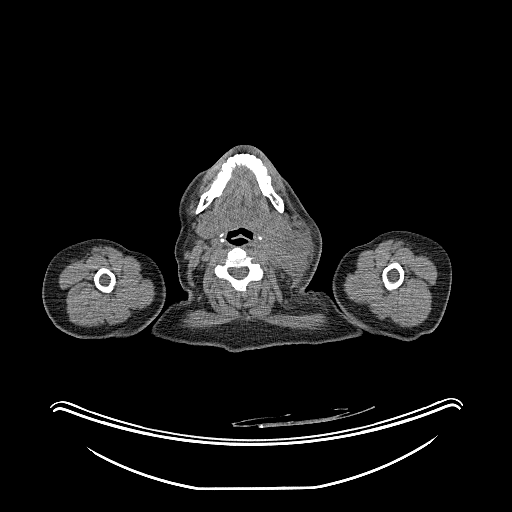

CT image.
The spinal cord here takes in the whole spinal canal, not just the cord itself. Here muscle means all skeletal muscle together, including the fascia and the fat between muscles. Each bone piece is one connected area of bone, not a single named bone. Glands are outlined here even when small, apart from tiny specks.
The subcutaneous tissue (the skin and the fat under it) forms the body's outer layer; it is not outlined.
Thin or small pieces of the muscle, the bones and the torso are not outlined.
{"muscle":[{"outer":[[247,152],[255,153],[270,165],[309,228],[313,255],[300,283],[299,297],[321,308],[330,317],[331,322],[323,329],[294,329],[261,320],[234,320],[194,329],[179,324],[179,318],[195,306],[194,290],[184,260],[184,242],[190,231],[185,209],[202,178],[221,163],[209,187],[199,196],[193,212],[195,215],[222,194],[238,167],[245,167],[253,173],[261,193],[280,214],[285,210],[284,201],[275,191],[266,165],[261,158]],"holes":[[[237,228],[245,228],[252,233],[252,237],[243,243],[241,247],[249,256],[259,258],[263,270],[262,278],[260,280],[250,281],[246,286],[245,292],[237,291],[227,280],[217,277],[214,272],[214,267],[217,262],[222,260],[234,246],[226,239],[228,232]],[[215,209],[218,215],[218,218],[219,219],[219,222],[221,227],[219,232],[218,232],[216,235],[213,236],[210,239],[209,238],[200,237],[193,230],[193,225],[192,224],[193,220],[196,217],[203,214],[205,212],[210,210],[214,210]],[[276,213],[279,214],[284,219],[284,220],[286,223],[286,231],[285,232],[285,233],[282,235],[277,235],[276,236],[275,236],[274,235],[269,233],[266,230],[266,228],[267,227],[267,225],[268,224],[268,223],[269,222],[272,215],[273,214],[275,214]]]},{"outer":[[388,239],[399,239],[410,243],[423,254],[429,256],[437,267],[438,275],[433,289],[431,310],[427,318],[416,326],[401,327],[388,320],[380,319],[370,313],[362,305],[348,299],[343,290],[342,285],[344,278],[358,254],[364,250],[371,249],[380,242]],"hole":[[394,261],[396,262],[398,262],[401,265],[404,271],[404,275],[403,276],[403,281],[397,288],[395,289],[393,289],[392,290],[388,290],[386,289],[382,281],[382,272],[383,271],[383,269],[389,263],[391,262],[393,262]]},{"outer":[[99,245],[110,246],[126,256],[135,257],[141,263],[149,278],[153,281],[155,285],[155,296],[147,307],[136,311],[122,322],[116,324],[106,323],[90,327],[80,326],[74,324],[68,318],[62,291],[58,284],[58,276],[61,270],[72,259],[92,247]],"hole":[[101,267],[105,267],[109,269],[114,274],[115,276],[115,285],[113,289],[109,293],[106,293],[105,292],[103,292],[101,291],[96,287],[94,283],[94,280],[93,279],[94,277],[94,275],[96,271],[99,268]]}],"spinal_cord":[[[241,267],[246,267],[247,268],[247,269],[248,270],[248,271],[247,272],[247,274],[244,277],[243,277],[242,278],[241,278],[240,279],[238,279],[237,278],[235,278],[233,276],[232,276],[229,273],[229,272],[228,271],[228,269],[229,268],[240,268]]],"torso":[[[311,289],[312,290],[322,290],[332,297],[343,316],[346,319],[364,331],[365,333],[359,337],[349,338],[340,341],[326,342],[320,344],[289,344],[288,345],[275,345],[274,346],[270,346],[274,344],[281,336],[283,330],[285,328],[305,291]],[[186,292],[188,293],[188,295],[199,317],[209,341],[215,346],[189,345],[183,343],[176,343],[155,337],[150,333],[150,329],[152,325],[155,322],[157,317],[158,318],[159,317],[163,310],[172,302],[177,301],[180,299],[185,299],[187,296]]],"bones":[[[236,153],[250,153],[261,159],[271,178],[271,185],[274,191],[283,201],[284,210],[282,213],[280,213],[262,193],[254,173],[245,166],[238,166],[232,171],[221,194],[215,197],[203,210],[195,214],[194,212],[200,196],[210,187],[221,168],[222,162]],{"outer":[[234,246],[241,246],[249,256],[258,257],[259,258],[260,265],[263,270],[263,276],[262,278],[260,280],[250,281],[246,286],[245,292],[237,291],[227,280],[223,278],[217,277],[214,272],[214,267],[217,262],[220,260],[222,260],[227,255],[228,251]],"hole":[[241,267],[246,267],[247,268],[247,269],[248,270],[248,271],[247,272],[247,274],[244,277],[243,277],[242,278],[241,278],[240,279],[238,279],[237,278],[235,278],[233,276],[232,276],[229,273],[229,272],[228,271],[228,269],[229,268],[240,268]]},[[394,261],[396,262],[398,262],[401,265],[404,271],[404,275],[403,276],[403,281],[397,288],[395,289],[393,289],[392,290],[388,290],[386,289],[382,281],[382,272],[383,271],[383,269],[389,263],[391,262],[393,262]],[[101,267],[105,267],[109,269],[114,274],[115,276],[115,285],[113,289],[109,293],[106,293],[105,292],[103,292],[101,291],[96,287],[94,283],[94,280],[93,279],[94,277],[94,275],[96,271],[99,268]]],"submandibular_glands":[[[215,209],[218,215],[218,218],[219,219],[219,222],[221,227],[219,232],[218,232],[216,235],[213,236],[210,239],[209,238],[200,237],[193,230],[193,225],[192,224],[193,220],[196,217],[203,214],[205,212],[210,210],[214,210]],[[276,213],[279,214],[284,219],[284,220],[286,223],[286,231],[285,232],[285,233],[282,235],[277,235],[276,236],[275,236],[274,235],[269,233],[266,230],[266,228],[267,227],[267,225],[268,224],[268,223],[269,222],[272,215],[273,214],[275,214]]],"right_arm":[[[93,238],[109,239],[121,244],[130,250],[141,252],[153,259],[161,270],[166,287],[166,296],[163,309],[152,324],[149,324],[135,335],[125,338],[76,338],[61,331],[54,326],[45,311],[42,302],[42,283],[46,268],[50,260],[56,253],[63,248]]],"left_arm":[[[391,230],[407,230],[427,236],[435,240],[445,249],[451,262],[451,289],[445,311],[439,324],[432,332],[424,334],[417,339],[411,341],[404,341],[389,336],[366,332],[344,316],[333,298],[331,286],[332,276],[342,256],[353,247],[366,243],[376,236]]],"head_and_neck":[{"outer":[[240,144],[248,144],[258,148],[290,184],[316,223],[321,234],[322,248],[317,267],[307,289],[277,340],[264,348],[230,352],[217,347],[210,341],[189,293],[183,290],[178,278],[174,246],[180,231],[178,205],[184,190],[199,172],[212,166],[229,149]],"hole":[[237,228],[245,228],[249,230],[252,233],[252,237],[250,239],[248,239],[247,241],[245,242],[245,243],[243,243],[241,245],[234,245],[230,243],[226,239],[226,236],[228,232],[229,232],[231,230],[234,230]]}]}